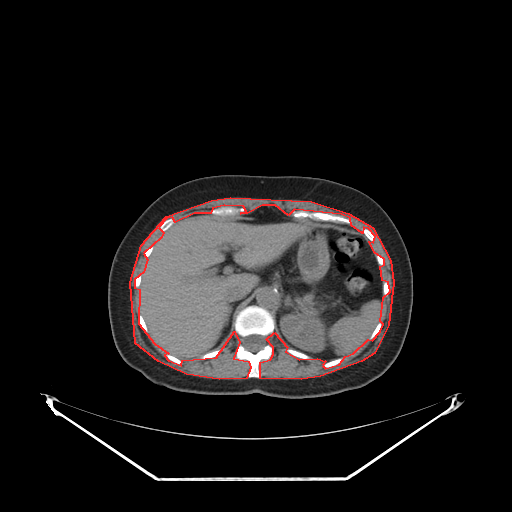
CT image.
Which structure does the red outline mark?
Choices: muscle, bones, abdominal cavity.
red: muscle.
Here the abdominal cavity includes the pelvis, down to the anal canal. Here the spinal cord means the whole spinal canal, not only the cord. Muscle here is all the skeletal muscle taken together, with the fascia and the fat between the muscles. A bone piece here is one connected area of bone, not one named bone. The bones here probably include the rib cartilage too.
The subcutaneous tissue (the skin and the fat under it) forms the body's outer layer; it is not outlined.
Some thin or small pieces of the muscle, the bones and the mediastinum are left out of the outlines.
Outlined structures:
muscle: 230 197; 311 201; 348 213; 372 227; 390 260; 393 282; 388 325; 374 353; 361 361; 320 376; 301 379; 260 378; 260 362; 270 359; 273 354; 273 347; 266 339; 274 332; 287 347; 285 351; 299 359; 317 358; 325 361; 322 365; 325 368; 339 364; 345 356; 353 353; 368 339; 372 340; 380 331; 383 324; 380 321; 383 297; 390 291; 388 282; 382 280; 380 266; 384 264; 384 259; 374 252; 369 241; 373 242; 375 236; 368 228; 363 227; 362 233; 351 225; 350 218; 341 214; 294 209; 288 215; 275 205; 262 205; 247 213; 240 213; 246 211; 243 206; 224 205; 212 208; 210 213; 194 213; 175 222; 172 217; 166 218; 158 227; 163 232; 161 237; 143 253; 147 259; 143 272; 134 279; 134 287; 139 289; 138 323; 154 343; 168 353; 164 355; 168 360; 181 365; 182 360; 216 357; 234 331; 239 342; 233 358; 248 361; 250 367; 246 378; 219 379; 186 374; 158 361; 135 343; 130 282; 141 245; 166 216; 211 200
spinal cord: 252 334; 257 334; 258 335; 260 335; 261 336; 262 336; 265 338; 265 344; 261 349; 258 350; 256 352; 252 352; 251 351; 250 351; 249 350; 246 349; 242 343; 242 341; 243 340; 243 339; 245 337; 246 337; 249 335; 251 335
mediastinum: 336 224; 346 224; 347 225; 350 225; 351 226; 353 226; 354 227; 355 227; 357 229; 358 229; 359 230; 359 231; 358 231; 355 229; 349 229; 346 227; 343 227; 340 225; 338 225; 337 224
bones 1: 249 305; 268 310; 275 323; 273 332; 267 338; 252 333; 241 341; 244 348; 252 353; 261 350; 266 342; 272 347; 271 357; 262 359; 258 364; 261 374; 259 378; 247 376; 251 367; 248 360; 234 358; 240 342; 234 321; 238 312
bones 2: 294 210; 302 210; 303 211; 307 211; 308 212; 325 212; 330 214; 341 215; 344 217; 346 217; 350 219; 351 220; 351 223; 350 224; 347 224; 346 223; 337 223; 332 221; 315 220; 308 217; 294 217; 292 215; 292 212
bones 3: 224 206; 231 206; 232 207; 236 207; 237 208; 239 208; 240 207; 243 207; 245 208; 245 211; 244 212; 240 212; 236 214; 231 214; 230 215; 216 215; 215 214; 213 214; 211 213; 211 210; 215 208; 219 208; 220 207; 223 207
bones 4: 169 218; 172 218; 174 220; 174 223; 168 229; 167 229; 165 231; 160 231; 160 230; 159 229; 159 227; 160 226; 160 225; 162 223; 162 222; 163 222; 166 219; 168 219
bones 5: 287 348; 289 348; 290 349; 293 349; 294 350; 296 350; 298 352; 300 352; 302 354; 304 354; 305 355; 310 356; 311 357; 311 358; 310 359; 302 359; 301 358; 299 358; 298 357; 297 357; 296 356; 287 352; 286 351; 286 349
bones 6: 221 349; 222 349; 221 352; 218 355; 217 355; 216 356; 214 356; 213 357; 211 357; 210 358; 208 358; 207 359; 201 359; 200 358; 200 357; 202 355; 203 355; 208 352; 210 352; 211 351; 217 351; 218 350; 220 350
bones 7: 363 228; 365 228; 366 229; 368 229; 373 234; 373 235; 374 236; 374 240; 373 241; 371 241; 370 240; 369 240; 365 236; 365 235; 363 233; 363 232; 362 231; 362 229
bones 8: 379 322; 381 322; 381 323; 382 324; 381 325; 381 327; 380 328; 380 329; 379 330; 379 331; 376 334; 376 335; 372 339; 369 339; 369 337; 370 336; 370 335; 372 333; 372 332; 376 327; 376 326; 377 325; 377 324
bones 9: 166 354; 169 354; 170 355; 171 355; 172 356; 174 356; 175 357; 176 357; 177 358; 178 358; 180 360; 181 360; 182 361; 182 363; 181 364; 178 364; 177 363; 175 363; 173 361; 171 361; 169 359; 168 359; 165 356; 165 355
abdominal cavity: 262 206; 355 230; 367 239; 379 266; 383 296; 379 321; 368 338; 353 352; 326 361; 285 345; 274 331; 272 313; 249 304; 237 312; 233 334; 220 349; 180 359; 160 348; 141 313; 139 288; 147 258; 164 232; 194 214; 239 215
torso: 219 174; 298 175; 329 179; 362 191; 385 210; 408 251; 413 274; 413 304; 403 346; 382 375; 362 387; 319 397; 290 399; 256 392; 211 395; 157 385; 122 359; 113 341; 107 305; 109 271; 118 245; 140 214; 164 192; 195 178